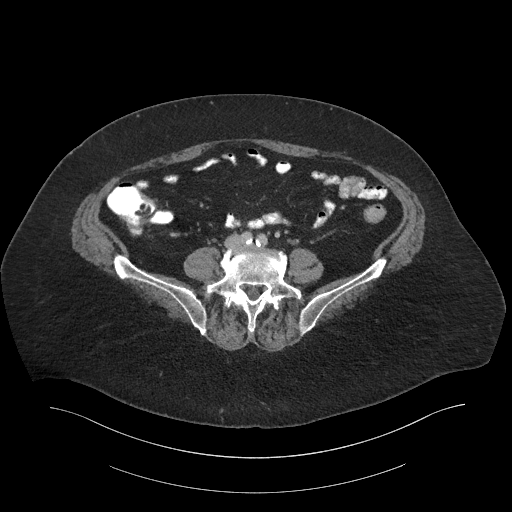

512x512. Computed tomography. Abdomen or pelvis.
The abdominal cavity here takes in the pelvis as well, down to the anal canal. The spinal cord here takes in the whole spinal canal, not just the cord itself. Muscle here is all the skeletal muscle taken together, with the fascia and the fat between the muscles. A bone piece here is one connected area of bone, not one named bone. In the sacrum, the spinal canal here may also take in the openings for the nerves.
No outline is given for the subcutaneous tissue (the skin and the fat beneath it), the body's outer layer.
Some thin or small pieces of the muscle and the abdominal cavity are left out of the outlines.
{"bones":[{"outer":[[229,248],[282,251],[287,256],[284,280],[301,291],[300,299],[293,296],[282,298],[277,310],[267,304],[257,315],[252,333],[248,331],[247,315],[240,306],[232,304],[226,307],[224,297],[215,292],[209,296],[204,295],[206,286],[224,275],[220,261]],"hole":[[247,285],[249,285],[250,286],[259,286],[260,287],[261,287],[261,291],[260,292],[260,293],[259,294],[259,295],[255,299],[251,299],[248,296],[248,295],[247,294],[247,293],[246,292],[246,291],[244,288],[245,287],[245,286],[246,286]]},[[117,253],[120,253],[126,256],[137,267],[155,277],[192,290],[201,301],[207,314],[206,335],[204,336],[200,334],[199,331],[193,326],[184,309],[173,297],[164,290],[162,290],[148,283],[132,278],[121,279],[117,275],[113,265],[113,257]],[[381,256],[384,256],[387,259],[387,262],[381,275],[379,277],[360,284],[336,298],[325,308],[316,321],[315,325],[309,331],[302,336],[300,336],[298,329],[299,314],[301,309],[309,300],[317,294],[335,288],[353,278],[363,271],[372,262]]],"abdominal_cavity":[[[242,142],[358,166],[400,202],[399,225],[363,270],[309,292],[324,265],[305,247],[292,249],[288,263],[280,249],[229,247],[220,260],[215,246],[198,247],[182,262],[197,285],[140,268],[99,217],[108,192],[120,179],[189,161],[221,143]]],"muscle":[{"outer":[[238,137],[268,138],[273,140],[280,140],[284,142],[289,142],[294,144],[313,147],[321,150],[344,152],[349,156],[358,159],[367,164],[370,164],[380,170],[383,170],[401,179],[416,193],[424,208],[425,212],[425,223],[424,224],[425,229],[424,230],[422,246],[420,250],[415,254],[412,259],[412,261],[409,264],[403,266],[400,269],[396,270],[380,279],[376,283],[372,291],[367,297],[365,299],[361,300],[353,308],[347,310],[338,317],[335,317],[331,321],[329,321],[327,323],[318,327],[303,341],[301,341],[292,346],[288,346],[283,350],[276,352],[268,352],[262,350],[252,343],[249,343],[240,349],[232,351],[219,348],[203,337],[194,333],[193,331],[183,324],[169,321],[165,319],[146,305],[113,276],[109,275],[104,271],[99,269],[95,265],[84,259],[72,248],[71,245],[71,224],[75,211],[79,204],[91,191],[95,188],[99,187],[102,183],[108,180],[112,176],[117,174],[121,170],[129,166],[141,163],[151,158],[167,154],[170,152],[177,151],[180,149],[198,143],[217,139],[237,138]],"hole":[[242,142],[356,165],[402,207],[381,275],[302,336],[307,302],[358,274],[307,292],[324,272],[308,248],[284,275],[301,298],[252,333],[204,295],[215,246],[182,262],[200,284],[149,273],[195,293],[204,336],[114,269],[129,252],[99,214],[120,179]]}],"torso":[[[219,93],[282,94],[336,104],[380,123],[426,161],[458,218],[488,260],[504,296],[504,316],[486,364],[440,375],[377,404],[279,428],[230,428],[177,420],[130,406],[69,379],[32,378],[10,327],[0,264],[39,188],[70,150],[114,119],[169,100]]],"spinal_cord":[[[247,285],[249,285],[250,286],[259,286],[260,287],[261,287],[261,291],[260,292],[260,293],[259,294],[259,295],[255,299],[251,299],[248,296],[248,295],[247,294],[247,293],[246,292],[246,291],[244,288],[245,287],[245,286],[246,286]]]}